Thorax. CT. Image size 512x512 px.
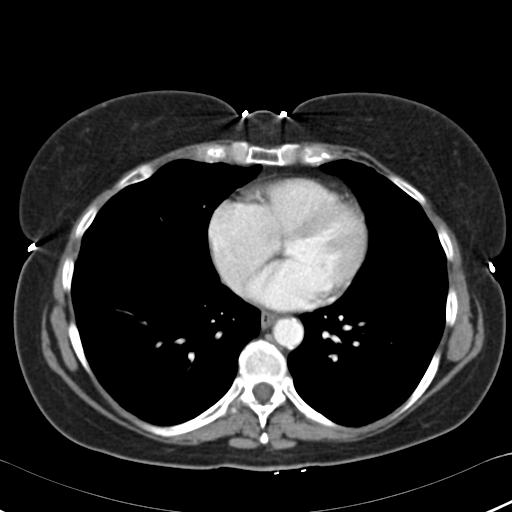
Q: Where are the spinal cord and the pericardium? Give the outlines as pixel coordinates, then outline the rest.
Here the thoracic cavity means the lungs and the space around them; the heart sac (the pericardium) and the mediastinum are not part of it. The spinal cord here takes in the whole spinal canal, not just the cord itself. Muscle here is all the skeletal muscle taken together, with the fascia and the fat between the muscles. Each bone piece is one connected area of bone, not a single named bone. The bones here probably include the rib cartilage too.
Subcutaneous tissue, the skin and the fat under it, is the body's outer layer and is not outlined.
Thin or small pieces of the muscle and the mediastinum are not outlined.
A: Outlines:
spinal cord: (263, 382) (264, 383) (266, 383) (270, 385) (273, 391) (270, 397) (265, 402) (260, 402) (255, 397) (254, 395) (254, 393) (253, 392) (253, 389) (254, 387) (257, 384) (259, 384)
pericardium: (286, 171) (317, 174) (345, 184) (351, 190) (363, 211) (368, 230) (366, 255) (351, 283) (333, 302) (311, 311) (280, 312) (258, 307) (245, 301) (229, 287) (222, 283) (214, 267) (209, 251) (208, 228) (212, 214) (216, 208) (237, 188) (243, 186) (258, 176) (271, 172)
mediastinum 1: (258, 308) (267, 309) (274, 312) (279, 312) (280, 313) (302, 313) (303, 312) (306, 312) (302, 313) (299, 317) (303, 325) (303, 329) (304, 330) (303, 338) (299, 345) (288, 354) (286, 359) (281, 351) (273, 343) (263, 338) (253, 339) (258, 335) (260, 331) (260, 310)
mediastinum 2: (297, 163) (305, 165) (311, 165) (312, 166) (318, 166) (320, 165) (320, 167) (325, 172) (337, 175) (345, 183) (339, 180) (317, 173) (312, 173) (307, 171) (294, 171) (293, 170) (271, 171) (267, 173) (262, 173) (255, 177) (260, 172) (262, 168) (261, 165) (289, 166)
bones 1: (257, 339) (273, 344) (283, 355) (300, 397) (341, 428) (307, 418) (289, 401) (268, 415) (263, 429) (268, 436) (265, 444) (259, 440) (263, 430) (258, 416) (242, 403) (234, 413) (172, 436) (152, 433) (135, 422) (137, 419) (170, 426) (209, 408) (231, 386) (243, 348), around a hole outlined by (263, 382) (264, 383) (266, 383) (270, 385) (273, 391) (270, 397) (265, 402) (260, 402) (255, 397) (254, 395) (254, 393) (253, 392) (253, 389) (254, 387) (257, 384) (259, 384)
bones 2: (234, 141) (245, 141) (250, 145) (265, 148) (278, 147) (285, 143) (298, 143) (302, 146) (318, 146) (324, 148) (336, 158) (318, 165) (300, 162) (289, 165) (270, 165) (259, 163) (236, 164) (226, 161) (207, 162) (195, 159) (195, 152) (198, 146) (215, 144) (227, 145)
bones 3: (437, 349) (440, 350) (441, 352) (441, 356) (440, 357) (440, 361) (439, 362) (439, 365) (438, 366) (437, 371) (431, 382) (424, 392) (407, 409) (397, 416) (393, 417) (394, 414) (400, 406) (401, 406) (402, 404) (406, 401) (419, 383) (420, 380) (425, 373) (435, 351)
bones 4: (71, 320) (73, 320) (75, 322) (76, 327) (79, 333) (79, 337) (81, 341) (83, 351) (85, 357) (89, 364) (89, 366) (93, 373) (93, 377) (92, 377) (85, 370) (78, 359) (72, 346) (69, 337) (69, 334) (68, 333) (68, 326) (69, 325) (69, 322)
bones 5: (146, 163) (150, 164) (153, 167) (153, 168) (155, 169) (155, 171) (149, 177) (143, 180) (141, 180) (140, 181) (129, 184) (119, 190) (118, 190) (116, 188) (116, 185) (121, 179) (122, 179) (130, 172) (131, 172) (140, 165) (142, 164) (145, 164)
bones 6: (449, 286) (452, 286) (454, 288) (454, 289) (456, 291) (456, 294) (457, 295) (457, 312) (456, 313) (456, 316) (455, 317) (454, 323) (452, 326) (447, 326) (445, 325) (445, 315) (446, 314) (446, 302) (447, 301) (447, 295) (448, 294) (448, 289) (449, 288)
bones 7: (391, 174) (392, 175) (395, 175) (399, 177) (404, 181) (407, 182) (413, 186) (417, 190) (418, 190) (425, 198) (425, 203) (423, 205) (420, 204) (414, 198) (413, 198) (405, 191) (404, 191) (401, 188) (392, 182) (387, 177) (388, 175) (390, 175)
bones 8: (92, 205) (96, 205) (98, 207) (98, 210) (94, 218) (92, 220) (91, 223) (89, 225) (87, 229) (84, 232) (81, 238) (76, 238) (75, 237) (75, 232) (76, 231) (76, 228) (81, 218) (83, 216) (83, 215)
bones 9: (66, 257) (71, 257) (74, 261) (74, 265) (73, 266) (73, 273) (72, 274) (72, 278) (71, 279) (71, 288) (70, 289) (70, 292) (67, 292) (65, 291) (62, 285) (62, 267) (63, 266) (63, 263) (64, 262) (64, 260) (66, 258)
bones 10: (439, 226) (442, 226) (445, 229) (446, 232) (449, 236) (449, 238) (452, 245) (452, 249) (453, 250) (453, 259) (451, 261) (447, 260) (446, 256) (445, 255) (445, 253) (444, 252) (444, 250) (440, 242) (440, 240) (437, 233) (437, 228)
thoracic cavity 1: (177, 159) (261, 166) (251, 180) (237, 187) (215, 208) (207, 228) (209, 256) (219, 280) (259, 310) (259, 331) (240, 351) (237, 373) (221, 397) (192, 418) (157, 425) (120, 405) (94, 374) (76, 324) (71, 289) (82, 237) (102, 206) (120, 190) (149, 178) (156, 170)
thoracic cavity 2: (341, 159) (371, 167) (421, 206) (436, 230) (446, 259) (448, 280) (442, 334) (418, 383) (391, 412) (359, 426) (337, 423) (307, 403) (296, 390) (287, 365) (289, 354) (304, 338) (301, 315) (337, 300) (352, 283) (367, 255) (369, 230) (364, 211) (344, 180) (321, 167)
torso: (157, 89) (214, 95) (239, 118) (290, 116) (318, 95) (388, 93) (437, 109) (471, 136) (504, 202) (505, 244) (490, 264) (506, 338) (493, 383) (465, 421) (367, 459) (255, 471) (122, 459) (46, 419) (13, 335) (16, 284) (34, 247) (18, 221) (24, 174) (70, 117)
muscle 1: (139, 164) (117, 182) (115, 188) (118, 191) (99, 209) (92, 204) (80, 218) (74, 232) (74, 237) (81, 239) (79, 250) (75, 260) (71, 256) (63, 260) (61, 285) (71, 295) (75, 321) (71, 319) (68, 322) (67, 333) (77, 359) (120, 406) (140, 419) (134, 422) (145, 431) (162, 437) (185, 434) (228, 413) (236, 413) (242, 404) (257, 416) (262, 430) (258, 440) (265, 445) (269, 441) (264, 430) (269, 415) (287, 402) (307, 419) (338, 429) (369, 424) (398, 407) (393, 418) (407, 410) (435, 377) (442, 356) (441, 350) (437, 348) (444, 328) (454, 325) (458, 312) (457, 291) (449, 285) (447, 271) (447, 261) (454, 259) (453, 245) (446, 229) (442, 225) (436, 229) (426, 214) (422, 207) (426, 203) (424, 195) (457, 240) (471, 304) (474, 303) (474, 295) (482, 310) (485, 336) (481, 350) (445, 385) (399, 422) (357, 441) (299, 440) (295, 446) (284, 449) (269, 449) (264, 445) (237, 448) (229, 446) (223, 438) (196, 445) (180, 445) (158, 441) (120, 425) (80, 398) (47, 364) (41, 349) (40, 333) (42, 312) (45, 305) (52, 305) (53, 280) (74, 222) (96, 196)
muscle 2: (301, 141) (315, 141) (330, 144) (339, 144) (361, 149) (373, 156) (386, 167) (407, 181) (391, 173) (388, 174) (386, 177) (379, 173) (371, 166) (359, 161) (347, 158) (336, 159) (337, 157) (334, 154) (329, 152) (324, 147) (318, 145) (302, 145) (298, 142) (294, 142)
muscle 3: (218, 139) (244, 140) (234, 140) (227, 144) (215, 143) (208, 145) (198, 145) (195, 148) (194, 159) (192, 158) (177, 158) (173, 159) (165, 163) (157, 169) (154, 168) (150, 163) (147, 162) (142, 163) (149, 161) (169, 151) (186, 145) (200, 143) (205, 141) (212, 141)